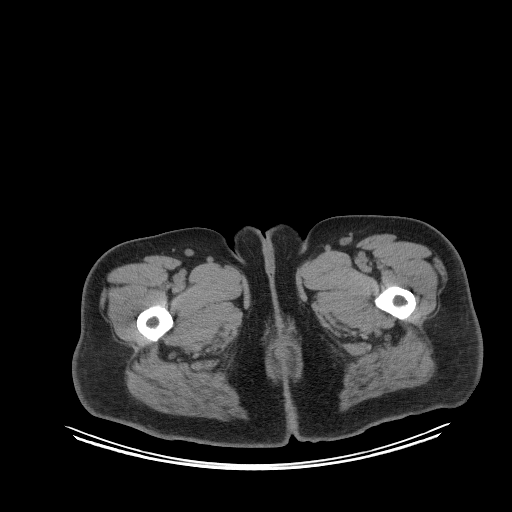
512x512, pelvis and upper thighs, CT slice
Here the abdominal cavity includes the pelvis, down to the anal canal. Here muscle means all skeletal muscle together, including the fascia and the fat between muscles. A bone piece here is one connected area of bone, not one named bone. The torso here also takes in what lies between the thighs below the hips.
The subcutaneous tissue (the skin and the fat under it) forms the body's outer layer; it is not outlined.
{"right_leg":[[[194,226],[210,228],[221,233],[229,245],[235,249],[255,283],[262,304],[269,364],[290,396],[291,436],[284,446],[222,447],[185,440],[162,439],[92,415],[83,407],[76,394],[71,375],[71,360],[80,334],[82,288],[93,263],[106,250],[123,241]]],"torso":[[[278,223],[286,223],[293,226],[302,237],[302,246],[292,277],[291,302],[299,330],[300,353],[296,380],[290,395],[272,370],[270,364],[265,337],[264,310],[261,296],[252,275],[233,246],[233,236],[238,228],[244,225],[253,225],[264,233],[268,227]]],"abdominal_cavity":[[[283,345],[290,345],[291,346],[294,346],[295,347],[295,349],[297,352],[297,367],[295,369],[295,371],[291,373],[286,373],[285,375],[276,375],[274,373],[273,373],[270,369],[270,354],[271,353],[271,351],[273,350],[277,346],[282,346]]],"bones":[[[392,285],[397,285],[403,288],[408,289],[410,290],[415,296],[415,299],[416,300],[415,308],[410,315],[405,320],[401,320],[393,316],[391,314],[378,308],[374,303],[374,298],[378,294],[379,294],[382,290],[385,289],[388,286],[391,286]],[[153,305],[162,305],[163,307],[166,308],[171,314],[173,318],[174,323],[172,327],[161,337],[160,337],[158,340],[153,342],[150,342],[148,341],[148,340],[141,333],[140,333],[138,330],[136,325],[136,319],[137,318],[137,316],[141,311]]],"muscle":[{"outer":[[154,254],[200,262],[228,260],[245,275],[250,291],[249,313],[226,374],[248,411],[247,420],[222,421],[163,413],[138,402],[128,392],[124,382],[128,350],[114,340],[109,324],[99,314],[100,289],[107,273],[113,268],[134,258]],"hole":[[153,305],[162,305],[163,307],[166,308],[171,314],[173,318],[174,323],[172,327],[161,337],[160,337],[158,340],[153,342],[150,342],[148,341],[148,340],[141,333],[140,333],[138,330],[136,325],[136,319],[137,318],[137,316],[141,311]]},{"outer":[[380,233],[407,237],[431,247],[445,267],[447,281],[439,296],[439,309],[435,316],[425,322],[437,366],[433,377],[423,385],[373,397],[338,412],[337,395],[344,374],[343,367],[300,300],[295,287],[295,272],[305,260],[323,251],[343,249],[369,235]],"hole":[[392,285],[397,285],[403,288],[408,289],[410,290],[415,296],[415,299],[416,300],[415,308],[410,315],[405,320],[401,320],[393,316],[391,314],[378,308],[374,303],[374,298],[378,294],[379,294],[382,290],[385,289],[388,286],[391,286]]},{"outer":[[279,337],[289,337],[293,339],[296,339],[299,341],[301,345],[303,367],[301,377],[296,381],[294,381],[291,377],[289,377],[287,380],[286,379],[285,380],[279,379],[276,382],[274,382],[268,377],[266,373],[266,368],[264,362],[266,347],[270,342]],"hole":[[283,345],[290,345],[291,346],[294,346],[295,347],[295,349],[297,352],[297,367],[295,369],[295,371],[291,373],[286,373],[285,375],[276,375],[274,373],[273,373],[270,369],[270,354],[271,353],[271,351],[273,350],[277,346],[282,346]]}],"left_leg":[[[346,214],[413,217],[431,224],[450,240],[464,264],[482,332],[482,371],[466,401],[457,407],[438,408],[383,422],[343,439],[299,441],[292,436],[290,419],[290,398],[297,380],[301,353],[300,330],[292,302],[295,267],[303,237],[311,227],[325,218]]]}